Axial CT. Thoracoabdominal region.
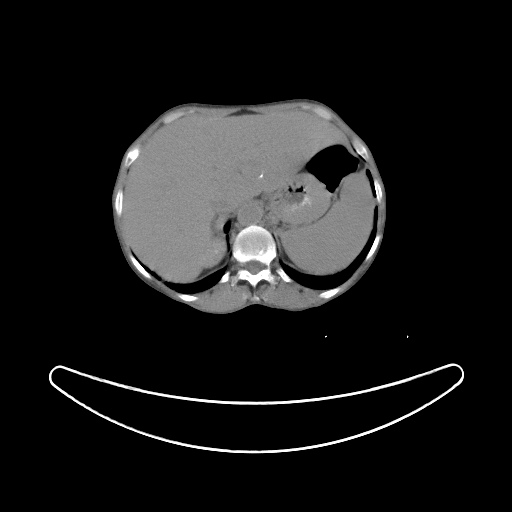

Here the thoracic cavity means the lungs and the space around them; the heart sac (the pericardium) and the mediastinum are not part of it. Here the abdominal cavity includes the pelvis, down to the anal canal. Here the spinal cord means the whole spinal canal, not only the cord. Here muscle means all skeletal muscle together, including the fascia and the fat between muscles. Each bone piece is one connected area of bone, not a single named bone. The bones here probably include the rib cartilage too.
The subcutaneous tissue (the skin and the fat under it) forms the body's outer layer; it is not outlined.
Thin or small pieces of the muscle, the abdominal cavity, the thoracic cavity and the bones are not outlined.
{"spinal_cord":[[[252,260],[254,260],[255,261],[258,261],[259,262],[260,262],[262,264],[263,264],[263,265],[264,266],[264,267],[262,269],[261,269],[256,273],[251,273],[248,270],[247,270],[244,268],[244,264],[246,262],[248,262],[249,261],[251,261]]],"mediastinum":[[[247,206],[256,206],[260,208],[264,212],[266,216],[267,223],[272,231],[272,234],[271,232],[265,227],[259,224],[251,223],[243,227],[237,232],[233,238],[233,240],[231,244],[231,249],[230,247],[230,243],[229,242],[230,220],[231,220],[240,210]]],"abdominal_cavity":[[[243,110],[301,111],[341,130],[365,161],[375,195],[377,208],[369,237],[345,269],[333,275],[302,273],[278,260],[265,212],[247,205],[223,227],[231,250],[227,269],[191,283],[165,283],[134,255],[124,229],[128,168],[162,124],[179,117],[212,118]]],"muscle":[[[278,278],[287,283],[295,281],[322,290],[318,297],[324,299],[305,306],[288,307],[268,303],[255,293],[251,300],[227,310],[210,310],[191,302],[199,298],[195,293],[217,283],[230,281],[233,287],[239,281],[247,281],[255,288],[263,280],[274,286]],{"outer":[[292,102],[308,102],[323,106],[333,113],[357,138],[353,138],[351,141],[348,139],[337,125],[301,110],[283,109],[275,111],[261,112],[243,109],[239,111],[224,114],[221,116],[213,116],[212,117],[180,116],[185,113],[183,111],[179,110],[172,112],[165,116],[163,118],[163,123],[151,134],[147,141],[142,146],[139,143],[134,145],[160,118],[165,114],[181,107],[197,106],[208,108],[232,108],[233,107],[246,108]],"hole":[[315,107],[320,107],[321,108],[322,108],[323,109],[324,109],[325,110],[326,110],[328,112],[329,112],[331,115],[331,118],[330,119],[326,119],[324,117],[322,117],[320,115],[319,115],[317,113],[316,113],[313,110],[313,108],[314,108]]},[[115,212],[116,215],[118,217],[121,216],[123,229],[125,232],[125,235],[127,238],[127,241],[129,243],[129,246],[131,248],[131,251],[132,252],[128,254],[128,257],[123,248],[118,233],[117,225],[116,224],[116,219],[115,218]],[[371,259],[370,262],[368,264],[368,265],[366,267],[366,268],[360,274],[360,275],[347,288],[346,288],[342,291],[342,286],[341,285],[341,284],[342,284],[346,280],[347,280],[352,275],[352,274],[355,271],[355,270],[363,261],[364,262],[367,262]],[[152,276],[157,278],[159,280],[163,282],[168,287],[176,291],[176,294],[175,295],[177,298],[175,298],[174,297],[172,297],[168,295],[166,293],[165,293],[163,291],[162,291],[160,289],[156,287],[152,283],[151,283],[148,280],[150,280],[152,278]],[[122,165],[125,168],[127,168],[127,171],[126,172],[127,173],[125,176],[125,182],[123,185],[123,189],[119,188],[116,191],[115,195],[114,196],[114,199],[114,194],[115,189],[116,188],[116,185],[118,181],[118,178],[120,174],[120,171],[121,170]],[[370,156],[373,161],[373,163],[377,171],[378,176],[381,182],[381,185],[379,181],[376,178],[373,178],[373,176],[370,170],[366,165],[366,161],[367,161],[369,159]],[[232,257],[237,262],[237,263],[238,264],[238,267],[237,268],[237,269],[236,270],[236,271],[234,273],[233,273],[232,274],[232,273],[231,272],[231,271],[229,269],[228,269],[228,267],[230,265],[230,260],[231,259],[231,258]]],"torso":[[[298,97],[316,99],[333,108],[368,145],[383,179],[387,196],[385,230],[377,256],[363,277],[343,294],[318,307],[286,311],[250,305],[229,314],[199,311],[141,281],[122,255],[114,231],[110,203],[120,159],[127,146],[161,112],[179,103],[254,103]]],"bones":[{"outer":[[251,224],[270,232],[276,248],[271,269],[274,272],[278,263],[292,281],[287,282],[278,277],[272,285],[263,279],[255,287],[247,280],[239,280],[233,286],[230,280],[218,282],[227,270],[232,275],[237,271],[239,264],[232,256],[232,244],[238,232]],"hole":[[252,260],[254,260],[255,261],[258,261],[259,262],[260,262],[262,264],[263,264],[263,265],[264,266],[264,267],[262,269],[261,269],[256,273],[251,273],[248,270],[247,270],[244,268],[244,264],[246,262],[248,262],[249,261],[251,261]]},[[137,144],[139,144],[141,146],[141,148],[139,151],[139,153],[138,154],[137,157],[131,163],[131,164],[128,167],[125,167],[123,165],[123,162],[124,161],[124,158],[126,155],[126,153],[128,151],[128,150],[129,150],[132,147],[135,146]],[[353,139],[357,139],[358,140],[359,140],[366,147],[366,148],[368,151],[368,153],[369,154],[369,157],[367,160],[365,160],[360,155],[359,155],[356,152],[356,151],[355,150],[355,149],[354,148],[354,147],[352,145],[352,140]],[[119,189],[121,189],[123,191],[123,198],[122,199],[122,210],[121,211],[121,215],[120,216],[118,216],[117,215],[117,214],[116,213],[116,212],[115,211],[115,210],[114,209],[114,200],[115,199],[115,196],[116,195],[116,193],[117,192],[117,191]],[[377,233],[378,233],[381,235],[381,239],[377,246],[377,248],[376,249],[375,252],[373,254],[372,257],[369,260],[368,260],[367,261],[364,261],[364,259],[365,258],[367,253],[369,251],[369,250],[373,243],[373,241],[375,238],[375,236]],[[339,285],[340,285],[341,286],[341,291],[337,294],[336,294],[332,297],[331,297],[330,298],[328,298],[327,299],[325,299],[324,298],[321,298],[320,297],[319,297],[319,294],[323,290],[326,290],[327,289],[330,289],[331,288],[336,287]],[[131,253],[132,254],[134,259],[140,265],[140,266],[143,269],[146,270],[151,275],[151,278],[150,279],[148,279],[147,278],[146,278],[143,275],[142,275],[137,270],[137,269],[133,265],[133,264],[131,262],[131,261],[129,258],[129,254],[130,254]],[[177,292],[180,292],[181,293],[186,293],[187,294],[193,294],[194,295],[195,295],[198,298],[196,300],[195,300],[194,301],[191,301],[190,302],[186,302],[185,301],[183,301],[182,300],[179,299],[177,297],[177,296],[176,295],[177,294]],[[373,179],[376,179],[378,181],[378,182],[380,184],[380,185],[381,186],[381,187],[382,188],[382,200],[379,203],[378,203],[377,202],[377,200],[376,199],[376,195],[375,194],[375,188],[374,187],[374,182],[373,181]],[[315,107],[320,107],[321,108],[322,108],[323,109],[324,109],[325,110],[326,110],[328,112],[329,112],[331,115],[331,118],[330,119],[326,119],[324,117],[322,117],[320,115],[319,115],[317,113],[316,113],[313,110],[313,108],[314,108]],[[179,111],[181,111],[182,112],[183,112],[184,113],[183,114],[180,115],[178,117],[173,119],[171,121],[170,121],[167,123],[165,123],[164,122],[164,118],[165,117],[166,117],[168,115],[169,115],[172,113],[175,113],[176,112],[178,112]]],"thoracic_cavity":[[[376,208],[377,209],[376,233],[372,243],[363,260],[351,275],[342,283],[326,289],[309,287],[294,280],[281,266],[279,262],[281,262],[293,270],[295,270],[296,272],[312,276],[333,276],[345,270],[356,259],[366,245],[374,227],[374,213]],[[222,268],[226,268],[226,270],[219,278],[218,281],[211,287],[207,288],[201,291],[198,291],[194,293],[181,292],[180,291],[177,291],[173,289],[166,284],[167,282],[171,282],[175,284],[191,284],[194,282],[197,282],[209,276],[214,272]],[[134,256],[135,256],[135,257],[138,260],[138,261],[143,266],[145,266],[145,267],[146,268],[147,268],[149,270],[150,270],[152,272],[153,272],[153,273],[155,275],[155,276],[152,275],[146,269],[143,268],[141,266],[141,265],[135,259]]]}